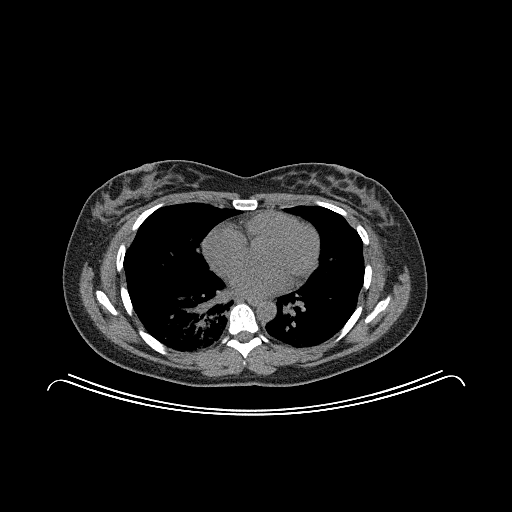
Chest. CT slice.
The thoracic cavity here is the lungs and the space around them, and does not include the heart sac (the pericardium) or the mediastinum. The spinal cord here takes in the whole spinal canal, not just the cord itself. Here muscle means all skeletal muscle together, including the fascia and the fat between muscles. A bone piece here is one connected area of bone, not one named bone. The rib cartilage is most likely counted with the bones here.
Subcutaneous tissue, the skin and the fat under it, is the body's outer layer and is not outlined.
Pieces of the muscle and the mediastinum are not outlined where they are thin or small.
{"mediastinum":[[[225,284],[228,287],[235,288],[240,291],[248,292],[252,295],[269,298],[277,297],[276,299],[277,310],[273,319],[268,321],[263,329],[258,323],[254,311],[248,304],[245,302],[239,302],[233,305],[233,302],[230,299],[228,294],[228,289],[226,288]]],"spinal_cord":[[[242,331],[247,331],[248,332],[249,332],[251,334],[251,335],[252,336],[251,337],[251,338],[249,340],[248,340],[247,341],[245,341],[244,342],[243,342],[242,341],[240,341],[237,338],[237,335],[240,332],[241,332]]],"bones":[{"outer":[[239,303],[245,303],[251,308],[257,323],[263,330],[264,333],[270,339],[270,343],[263,342],[251,349],[247,354],[245,359],[246,361],[245,364],[242,363],[243,357],[236,349],[225,344],[220,344],[220,340],[226,331],[230,309],[234,305]],"hole":[[242,331],[247,331],[248,332],[249,332],[251,334],[251,335],[252,336],[251,337],[251,338],[249,340],[248,340],[247,341],[245,341],[244,342],[243,342],[242,341],[240,341],[237,338],[237,335],[240,332],[241,332]]},[[140,328],[150,334],[154,338],[155,338],[158,341],[162,343],[167,348],[169,348],[169,349],[167,350],[167,352],[168,353],[167,354],[162,354],[156,351],[149,345],[148,345],[144,341],[144,340],[141,337],[138,332],[138,329]],[[359,305],[362,305],[362,311],[358,319],[355,322],[355,323],[352,326],[352,327],[347,332],[347,333],[338,341],[335,342],[334,340],[336,336],[338,334],[338,332],[341,329],[341,328],[344,325],[344,324],[348,320],[348,319],[353,313],[357,306]],[[239,198],[243,198],[244,199],[245,199],[246,198],[248,198],[249,199],[256,199],[258,201],[258,207],[256,209],[254,209],[253,210],[240,210],[239,209],[236,209],[235,208],[232,207],[232,205],[231,204],[231,202],[233,199],[238,199]],[[388,295],[390,295],[391,297],[385,309],[379,312],[377,314],[377,315],[371,321],[370,321],[368,323],[365,323],[364,321],[365,320],[365,318],[366,316],[372,311],[372,310],[374,308],[376,304],[380,300],[382,299],[384,299]],[[161,202],[164,203],[164,205],[156,209],[153,212],[152,212],[140,224],[140,225],[138,227],[136,231],[134,232],[131,229],[131,227],[134,223],[134,222],[136,220],[137,217],[143,211]],[[96,290],[101,290],[107,296],[108,299],[110,301],[110,302],[112,304],[112,305],[115,308],[115,309],[117,311],[117,312],[118,313],[118,314],[117,315],[113,315],[102,304],[101,304],[98,301],[98,300],[96,298],[96,295],[95,294],[95,291]],[[121,285],[124,285],[126,286],[126,288],[127,289],[127,291],[128,292],[128,294],[131,301],[131,304],[133,308],[133,313],[132,315],[129,315],[127,313],[124,307],[124,305],[121,298],[121,295],[120,294],[120,287]],[[315,200],[320,200],[321,201],[325,201],[326,202],[331,203],[334,205],[336,205],[345,210],[347,213],[347,216],[346,217],[344,217],[341,214],[335,211],[333,211],[326,207],[324,207],[323,206],[320,206],[319,205],[316,205],[314,202]],[[121,243],[124,243],[125,244],[125,246],[126,247],[126,250],[125,251],[125,254],[124,255],[124,258],[123,259],[123,269],[120,272],[118,272],[118,271],[117,270],[117,267],[116,266],[116,257],[117,256],[117,252],[118,251],[119,246]],[[366,264],[369,264],[371,266],[371,269],[372,270],[372,272],[371,273],[371,280],[370,281],[370,283],[369,284],[369,286],[368,287],[368,288],[366,290],[365,290],[362,287],[363,286],[363,280],[364,279],[364,272],[365,271],[365,265]],[[358,224],[360,224],[365,229],[365,230],[367,233],[367,235],[368,236],[368,238],[369,239],[369,243],[367,245],[365,245],[364,244],[363,244],[363,242],[362,241],[362,240],[361,239],[359,234],[357,232],[357,231],[355,228],[355,227]]],"pericardium":[[[264,209],[283,211],[298,216],[309,222],[315,228],[319,236],[319,255],[317,267],[300,287],[294,291],[274,297],[260,296],[252,294],[248,291],[228,286],[219,276],[210,269],[201,251],[201,244],[204,238],[215,226],[230,218],[234,218],[243,214]]],"torso":[[[160,160],[191,160],[240,176],[288,164],[323,162],[375,179],[406,213],[422,250],[427,297],[416,326],[399,345],[371,362],[328,378],[287,387],[188,386],[139,374],[106,360],[82,338],[67,311],[62,287],[66,247],[84,202],[96,188],[123,171]]],"muscle":[{"outer":[[198,190],[235,192],[240,197],[233,198],[231,206],[201,201],[168,205],[158,202],[136,217],[130,227],[134,235],[129,245],[121,242],[116,252],[116,270],[118,273],[123,270],[126,283],[119,287],[123,307],[129,316],[136,314],[144,328],[138,328],[138,334],[156,352],[162,355],[167,355],[170,349],[193,352],[219,341],[220,345],[236,350],[245,365],[250,351],[263,343],[270,344],[271,339],[306,348],[317,346],[337,333],[333,340],[336,343],[359,319],[363,305],[357,305],[358,297],[362,288],[365,291],[369,288],[373,272],[372,266],[364,261],[363,247],[370,243],[366,229],[360,223],[353,227],[346,219],[345,209],[325,200],[259,207],[256,198],[249,198],[256,193],[318,195],[356,211],[379,239],[389,267],[388,278],[395,277],[405,266],[409,271],[411,290],[405,309],[386,333],[359,351],[311,367],[291,367],[266,375],[245,368],[237,374],[210,377],[199,371],[164,365],[120,347],[95,326],[82,304],[79,294],[82,267],[86,261],[98,273],[116,225],[131,211],[168,194]],"holes":[[[388,295],[390,295],[391,297],[385,309],[379,312],[377,314],[377,315],[371,321],[370,321],[368,323],[365,323],[364,321],[365,320],[365,318],[366,316],[372,311],[372,310],[374,308],[376,304],[380,300],[382,299],[384,299]],[[96,290],[101,290],[107,296],[108,299],[110,301],[110,302],[112,304],[112,305],[115,308],[115,309],[117,311],[117,312],[118,313],[118,314],[117,315],[113,315],[102,304],[101,304],[98,301],[98,300],[96,298],[96,295],[95,294],[95,291]]]}],"thoracic_cavity":[[[186,202],[201,202],[241,211],[215,225],[200,244],[201,254],[209,269],[224,283],[232,306],[229,309],[227,324],[221,338],[207,347],[193,351],[179,351],[167,347],[145,330],[134,311],[124,271],[127,248],[141,224],[152,213],[164,206]],[[295,205],[315,205],[341,215],[355,229],[363,245],[364,271],[356,307],[336,333],[317,345],[306,347],[295,347],[283,343],[269,337],[264,331],[266,324],[277,314],[278,297],[295,292],[319,265],[320,236],[316,228],[302,217],[284,211],[286,207]]]}